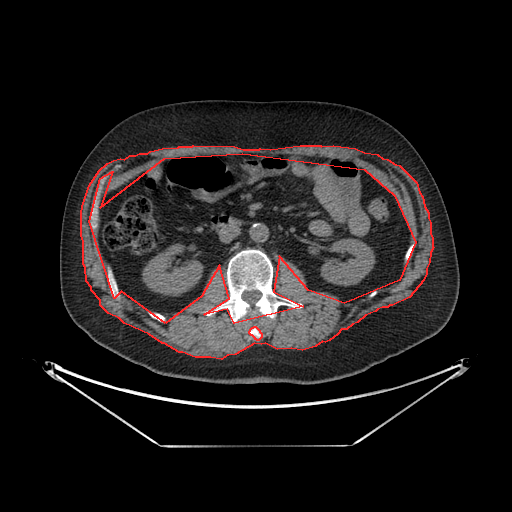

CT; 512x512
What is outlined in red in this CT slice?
red: muscle.
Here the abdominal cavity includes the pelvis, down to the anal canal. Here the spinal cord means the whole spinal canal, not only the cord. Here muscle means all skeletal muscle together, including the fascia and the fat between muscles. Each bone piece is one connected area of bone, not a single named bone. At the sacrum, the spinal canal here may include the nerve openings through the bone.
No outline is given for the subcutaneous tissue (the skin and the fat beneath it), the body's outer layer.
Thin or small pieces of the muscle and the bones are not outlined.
Outlines:
muscle: 193,145 234,146 243,149 259,149 260,148 270,149 300,145 320,145 321,146 333,145 355,148 364,152 377,154 382,158 387,159 395,164 399,165 416,182 419,192 422,196 424,206 428,212 428,218 430,222 430,233 432,238 432,246 433,247 430,252 429,262 426,268 426,273 423,280 409,297 392,305 389,305 387,307 382,307 377,309 375,311 365,315 357,322 352,324 346,329 341,329 337,334 329,340 325,342 322,341 315,346 302,350 291,348 277,349 265,343 261,344 254,343 235,354 227,355 221,359 210,357 195,357 182,352 179,352 164,343 162,343 149,334 124,323 119,318 108,313 100,305 100,300 91,290 91,287 86,281 85,267 83,264 83,241 81,235 81,213 82,206 89,185 99,170 107,163 113,160 120,158 124,159 130,155 135,155 139,153 147,153 150,151 162,148 178,147 179,146 192,146, around holes outlined by 242,153 364,169 394,195 415,242 399,280 344,303 308,290 279,256 273,291 303,306 234,323 227,309 204,314 229,298 219,265 201,296 165,323 121,291 114,298 89,221 100,178 112,171 100,207 164,158 and by 254,326 255,326 259,330 259,331 261,333 261,337 258,340 257,340 256,339 255,339 255,338 252,335 251,335 249,333 249,331 250,330 250,329 252,327 253,327
torso: 201,99 336,102 369,111 398,129 432,174 452,227 460,287 454,311 446,325 432,337 364,372 308,385 285,382 229,385 163,376 98,345 79,328 61,298 59,244 66,198 80,165 112,127 133,113 161,104
spinal cord: 252,290 257,290 258,291 259,291 261,293 261,296 253,304 253,305 252,305 251,304 250,304 248,302 247,302 245,300 244,300 242,298 242,294 243,293 243,292 244,292 245,291 251,291
abdominal cavity: 242,153 328,157 364,169 394,195 407,224 410,244 399,280 344,303 308,290 302,271 279,256 273,289 272,260 246,247 227,262 228,294 219,265 201,296 177,311 164,315 129,299 100,251 104,198 164,158
bones 1: 246,248 259,249 269,257 274,268 273,291 279,296 302,303 301,308 280,305 273,319 260,313 255,316 247,313 234,323 227,309 221,309 210,316 204,314 205,310 210,310 229,298 226,283 228,262 232,256, around a hole outlined by 252,290 257,290 258,291 259,291 261,293 261,296 253,304 253,305 252,305 251,304 250,304 248,302 247,302 245,300 244,300 242,298 242,294 243,293 243,292 244,292 245,291 251,291
bones 2: 108,171 112,171 104,183 103,188 100,194 100,199 99,200 99,212 98,213 98,219 97,220 98,226 93,230 90,226 90,222 89,221 89,215 90,214 90,208 91,207 92,200 93,199 94,193 100,178
bones 3: 107,264 108,264 112,269 112,271 113,272 113,274 114,275 114,277 119,290 119,293 120,294 120,297 119,299 116,299 114,298 110,293 110,290 108,286 108,279 107,278 107,269 106,268 106,265
bones 4: 147,310 151,310 152,311 155,311 156,312 158,312 159,313 160,313 162,315 163,315 166,318 166,322 165,323 162,323 161,322 159,322 157,320 156,320 155,319 152,318 148,314 148,313 147,312
bones 5: 413,242 415,242 415,247 413,249 413,251 412,252 412,255 411,256 411,257 410,258 410,259 406,263 404,263 404,256 405,255 405,254 406,253 406,251 407,250 407,249 409,247 409,246
bones 6: 254,326 255,326 259,330 259,331 261,333 261,337 258,340 257,340 256,339 255,339 255,338 252,335 251,335 249,333 249,331 250,330 250,329 252,327 253,327